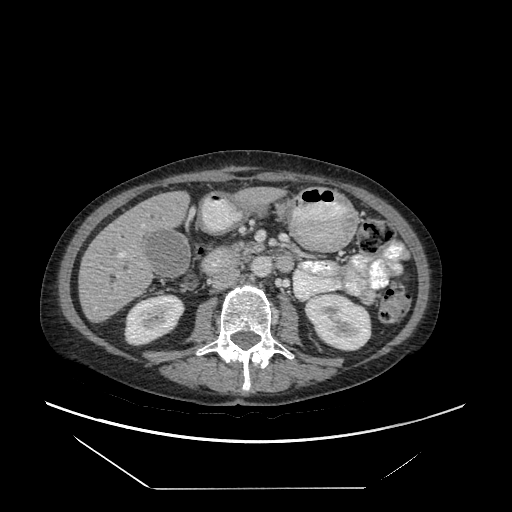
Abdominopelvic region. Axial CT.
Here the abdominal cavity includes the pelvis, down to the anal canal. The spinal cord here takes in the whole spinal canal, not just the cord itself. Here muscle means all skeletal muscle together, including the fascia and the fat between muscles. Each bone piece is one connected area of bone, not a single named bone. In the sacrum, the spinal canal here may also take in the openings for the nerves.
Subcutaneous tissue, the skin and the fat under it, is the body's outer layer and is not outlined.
{"torso":[[[238,149],[297,154],[350,168],[381,184],[420,219],[437,247],[442,266],[439,312],[434,329],[425,344],[371,381],[330,395],[275,406],[213,406],[174,400],[113,381],[54,351],[40,324],[40,290],[53,248],[72,219],[100,194],[146,171],[190,156]]],"spinal_cord":[[[241,331],[244,331],[245,332],[247,332],[248,331],[251,331],[255,334],[257,334],[260,337],[260,340],[249,348],[248,348],[247,349],[243,349],[242,348],[241,348],[237,344],[236,344],[231,339],[231,336],[233,334],[234,334],[237,332],[240,332]]],"abdominal_cavity":[[[233,179],[328,184],[383,216],[409,246],[417,272],[403,327],[357,361],[310,355],[296,346],[299,315],[290,300],[281,296],[277,305],[245,283],[225,294],[219,310],[216,297],[197,306],[184,349],[134,355],[90,329],[71,278],[92,231],[152,188]]],"muscle":[{"outer":[[230,165],[235,165],[236,166],[258,166],[259,167],[265,167],[278,170],[297,172],[303,174],[324,176],[340,182],[348,183],[363,188],[381,198],[392,206],[405,219],[418,237],[423,247],[424,253],[427,259],[428,267],[430,270],[429,274],[430,275],[430,287],[429,288],[427,305],[424,311],[423,316],[416,326],[412,334],[401,343],[396,345],[392,349],[387,351],[375,359],[357,366],[352,369],[343,371],[324,381],[300,388],[290,388],[285,391],[281,391],[277,393],[271,393],[270,394],[267,393],[263,395],[262,394],[260,395],[256,394],[249,395],[248,394],[219,393],[205,387],[192,389],[186,386],[178,384],[160,375],[154,369],[144,367],[141,364],[127,360],[123,357],[114,355],[107,352],[102,347],[96,345],[93,342],[87,339],[79,331],[73,327],[64,316],[59,304],[58,273],[60,268],[60,264],[66,249],[77,229],[84,220],[93,211],[107,200],[126,189],[138,186],[145,183],[148,183],[155,180],[162,179],[176,174],[177,175],[182,173],[188,173],[195,171],[219,169],[222,167]],"hole":[[233,179],[328,184],[383,216],[417,272],[403,327],[357,361],[310,355],[281,296],[270,331],[295,356],[250,361],[247,391],[240,361],[195,354],[219,334],[216,297],[197,306],[184,349],[134,355],[90,329],[71,278],[92,231],[152,188]]}],"bones":[{"outer":[[245,284],[264,291],[272,304],[271,334],[295,356],[289,359],[276,352],[264,368],[250,361],[250,388],[247,391],[242,389],[244,377],[243,364],[240,361],[231,360],[226,363],[215,351],[202,355],[195,354],[198,348],[217,338],[220,310],[226,294]],"hole":[[241,331],[244,331],[245,332],[247,332],[248,331],[251,331],[255,334],[257,334],[260,337],[260,340],[249,348],[248,348],[247,349],[243,349],[242,348],[241,348],[237,344],[236,344],[231,339],[231,336],[233,334],[234,334],[237,332],[240,332]]}]}